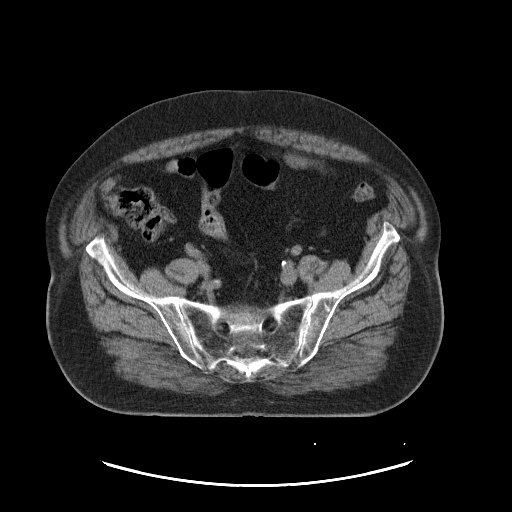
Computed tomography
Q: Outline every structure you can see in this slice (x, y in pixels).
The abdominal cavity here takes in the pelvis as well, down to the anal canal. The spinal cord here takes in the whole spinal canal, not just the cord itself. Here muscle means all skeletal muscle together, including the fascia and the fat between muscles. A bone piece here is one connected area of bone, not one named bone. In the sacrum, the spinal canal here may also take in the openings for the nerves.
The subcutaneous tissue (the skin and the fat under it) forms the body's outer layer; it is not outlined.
A: The muscle is outlined by (256, 126) (269, 126) (274, 128) (283, 127) (288, 129) (306, 131) (313, 134) (322, 135) (341, 143) (350, 145) (364, 152) (372, 159) (378, 162) (402, 179) (409, 187) (413, 189) (420, 199) (426, 212) (427, 217) (426, 218) (428, 222) (428, 231) (427, 235) (422, 243) (417, 243) (416, 244) (410, 243) (406, 246) (406, 250) (409, 256) (409, 261) (411, 265) (411, 279) (408, 286) (408, 291) (401, 323) (385, 368) (379, 374) (378, 377) (371, 383) (348, 392) (322, 395) (321, 396) (314, 396) (313, 397) (303, 397) (290, 394) (277, 393) (275, 391) (262, 385) (250, 382) (236, 387) (233, 387) (214, 396) (183, 395) (158, 388) (144, 386) (123, 379) (111, 370) (98, 345) (92, 336) (90, 325) (84, 306) (78, 273) (78, 265) (80, 257) (74, 255) (71, 257) (65, 258) (61, 253) (58, 239) (58, 227) (60, 222) (60, 218) (62, 216) (64, 209) (70, 201) (74, 192) (99, 167) (109, 163) (131, 151) (138, 149) (142, 146) (145, 146) (153, 142) (160, 141) (175, 136) (179, 136) (183, 134) (187, 134) (191, 132) (204, 131) (218, 128) (236, 128) (237, 127) (255, 127); inner edge: (234, 135) (359, 164) (387, 187) (354, 267) (300, 258) (309, 295) (354, 279) (384, 221) (400, 237) (338, 303) (312, 358) (249, 379) (182, 357) (158, 313) (85, 250) (102, 236) (135, 286) (184, 297) (196, 262) (177, 257) (138, 276) (95, 212) (96, 185). The bones are outlined by (384, 221) (396, 229) (399, 241) (386, 250) (377, 275) (338, 303) (313, 357) (299, 368) (265, 365) (249, 379) (224, 361) (209, 370) (182, 357) (158, 313) (119, 290) (85, 250) (93, 238) (102, 236) (123, 276) (157, 297) (267, 308) (332, 291) (354, 279) (366, 265) with holes at (267, 316) (270, 316) (271, 317) (271, 318) (273, 320) (273, 323) (274, 324) (274, 326) (273, 327) (272, 327) (271, 328) (269, 328) (268, 329) (266, 329) (265, 328) (265, 321) (266, 320) (266, 319) (267, 318) and at (221, 324) (225, 324) (226, 325) (226, 327) (227, 328) (227, 331) (225, 333) (222, 333) (218, 329) (218, 327). The abdominal cavity is outlined by (234, 135) (356, 163) (380, 178) (389, 201) (367, 219) (354, 267) (345, 258) (305, 254) (297, 272) (308, 294) (267, 307) (220, 306) (185, 297) (186, 286) (199, 274) (187, 257) (172, 259) (164, 273) (149, 266) (136, 274) (116, 227) (95, 212) (98, 182) (115, 170). The torso is outlined by (268, 88) (315, 94) (355, 111) (396, 143) (425, 179) (441, 222) (438, 271) (443, 331) (431, 369) (406, 400) (383, 413) (367, 417) (126, 415) (90, 403) (64, 377) (52, 353) (46, 329) (50, 270) (44, 223) (50, 198) (59, 180) (102, 133) (149, 103) (205, 89). The spinal cord appears in 3 outlined pieces: piece 1: (267, 316) (270, 316) (271, 317) (271, 318) (273, 320) (273, 323) (274, 324) (274, 326) (273, 327) (272, 327) (271, 328) (269, 328) (268, 329) (266, 329) (265, 328) (265, 321) (266, 320) (266, 319) (267, 318); piece 2: (221, 324) (225, 324) (226, 325) (226, 327) (227, 328) (227, 331) (225, 333) (222, 333) (218, 329) (218, 327); piece 3: (242, 353) (252, 353) (253, 354) (251, 356) (241, 356) (240, 355) (240, 354) (241, 354).